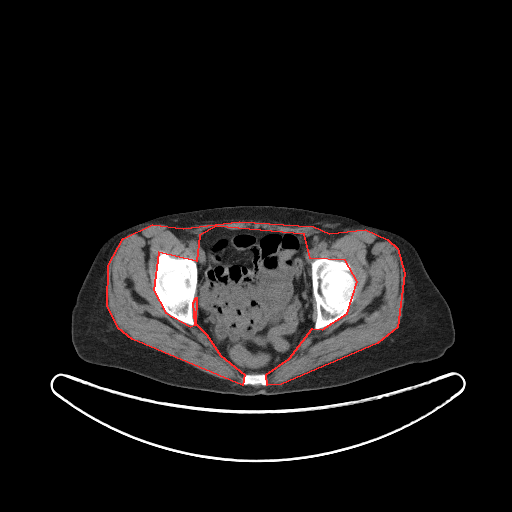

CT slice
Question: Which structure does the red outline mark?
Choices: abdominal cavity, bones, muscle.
Answer: red: muscle.
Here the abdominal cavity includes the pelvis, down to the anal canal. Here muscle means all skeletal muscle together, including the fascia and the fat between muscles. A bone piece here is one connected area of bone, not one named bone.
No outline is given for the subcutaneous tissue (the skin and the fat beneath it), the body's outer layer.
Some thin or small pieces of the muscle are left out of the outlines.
{"muscle":[[[239,221],[313,226],[329,233],[365,229],[387,239],[397,248],[404,273],[397,327],[377,343],[281,384],[267,385],[266,374],[289,358],[312,328],[322,329],[347,313],[357,281],[345,260],[310,258],[304,234],[216,226],[199,235],[196,261],[158,252],[153,290],[165,312],[190,326],[195,324],[193,302],[196,297],[195,323],[206,334],[220,355],[244,374],[242,385],[132,339],[118,328],[107,305],[108,265],[123,238],[152,224],[183,228]]],"torso":[[[238,205],[285,206],[337,214],[400,235],[416,249],[429,276],[450,307],[455,328],[453,345],[437,359],[407,364],[345,385],[277,395],[253,396],[172,386],[127,370],[93,364],[81,359],[71,340],[71,311],[95,255],[110,237],[128,227],[159,216]]],"abdominal_cavity":[[[216,227],[229,230],[262,228],[282,233],[294,232],[307,238],[309,245],[307,255],[313,260],[310,263],[313,327],[298,342],[291,355],[269,373],[244,373],[240,371],[221,355],[207,334],[196,323],[198,318],[197,261],[201,253],[200,235],[204,230]]],"bones":[[[317,258],[335,259],[349,263],[351,266],[351,272],[356,281],[356,289],[354,293],[354,299],[349,306],[346,313],[338,320],[319,329],[314,328],[314,323],[317,317],[317,308],[316,307],[316,301],[313,295],[312,278],[311,277],[311,263],[312,261]],[[162,250],[174,258],[189,257],[193,259],[197,264],[197,285],[196,286],[196,292],[192,302],[192,317],[194,320],[194,324],[193,325],[190,325],[182,322],[165,311],[162,307],[159,301],[158,296],[154,290],[153,280],[155,275],[156,262],[159,252]],[[245,374],[265,374],[267,376],[267,383],[266,384],[266,385],[262,385],[261,384],[254,384],[253,385],[252,385],[251,384],[247,384],[246,385],[244,385],[242,383],[242,380],[241,379],[241,378],[242,377],[242,376],[243,375],[244,375]]]}